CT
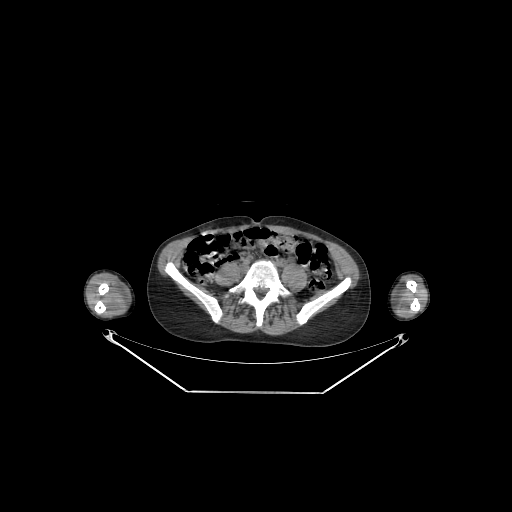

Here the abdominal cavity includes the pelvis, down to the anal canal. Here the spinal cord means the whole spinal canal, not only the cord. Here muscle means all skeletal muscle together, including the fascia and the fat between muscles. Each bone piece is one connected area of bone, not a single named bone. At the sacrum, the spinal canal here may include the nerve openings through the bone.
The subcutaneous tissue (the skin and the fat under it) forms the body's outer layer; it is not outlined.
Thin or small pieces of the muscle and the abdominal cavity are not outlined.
{"right_arm":[[[100,268],[109,268],[119,272],[128,280],[132,286],[135,294],[135,298],[136,299],[135,307],[131,314],[126,317],[115,320],[112,323],[110,321],[103,321],[93,317],[89,313],[83,302],[82,291],[83,290],[84,281],[87,275],[90,272]]],"abdominal_cavity":[[[256,225],[323,242],[329,248],[339,281],[301,299],[298,293],[306,286],[308,275],[300,265],[289,263],[280,274],[272,260],[258,258],[243,277],[240,265],[223,265],[215,279],[224,290],[215,292],[192,282],[179,269],[186,245],[207,233],[232,232]]],"torso":[[[234,215],[248,215],[257,221],[269,215],[291,216],[316,225],[352,246],[366,264],[371,288],[370,310],[362,328],[346,341],[327,347],[240,341],[197,343],[175,337],[164,330],[154,319],[146,295],[148,272],[156,248],[161,242],[176,233],[214,218]]],"left_arm":[[[410,269],[417,270],[421,272],[425,276],[429,286],[429,290],[430,291],[431,299],[427,309],[417,318],[410,320],[409,321],[398,321],[394,319],[388,311],[387,305],[386,304],[387,294],[396,276],[399,273],[405,270],[409,270]]],"bones":[{"outer":[[258,259],[272,261],[277,268],[282,284],[291,292],[291,295],[280,297],[279,302],[271,303],[264,310],[263,321],[259,327],[256,326],[255,309],[251,305],[238,302],[242,296],[241,294],[229,293],[228,296],[225,296],[228,289],[245,277],[249,266]],"hole":[[258,287],[260,287],[261,288],[266,288],[267,289],[267,291],[264,294],[264,295],[261,298],[259,298],[257,296],[257,295],[256,294],[256,293],[255,292],[255,288],[257,288]]},[[168,261],[172,262],[180,272],[188,280],[193,283],[198,288],[205,293],[214,296],[217,299],[220,308],[222,311],[222,316],[219,321],[219,323],[217,324],[214,323],[212,321],[211,317],[208,313],[205,306],[190,291],[176,282],[164,270],[165,264]],[[347,276],[349,276],[351,278],[351,284],[343,293],[342,293],[339,296],[333,298],[325,305],[321,307],[308,319],[306,323],[302,325],[299,325],[297,323],[296,321],[296,314],[300,310],[301,307],[304,303],[308,301],[313,300],[318,296],[329,290]],[[98,299],[100,299],[102,301],[102,302],[104,304],[104,305],[105,306],[105,310],[102,313],[101,313],[100,314],[98,314],[95,311],[95,310],[94,309],[94,306],[95,305],[95,304],[96,303],[96,301]],[[414,297],[417,297],[418,298],[418,301],[419,302],[419,304],[420,305],[420,307],[419,308],[419,310],[417,312],[414,312],[413,311],[412,311],[410,309],[410,304],[411,303],[411,302],[412,301],[412,299]],[[103,282],[105,282],[106,283],[107,283],[108,284],[108,286],[109,287],[109,289],[108,290],[108,291],[106,293],[105,293],[103,295],[100,295],[98,293],[98,287],[99,286],[99,285],[101,283],[102,283]],[[409,279],[411,279],[412,280],[414,280],[416,282],[416,291],[415,292],[412,292],[408,288],[407,288],[407,287],[406,286],[406,281],[407,280],[408,280]]],"spinal_cord":[[[258,287],[260,287],[261,288],[266,288],[267,289],[267,291],[264,294],[264,295],[261,298],[259,298],[257,296],[257,295],[256,294],[256,293],[255,292],[255,288],[257,288]]],"muscle":[[[230,263],[240,266],[243,274],[237,283],[227,289],[224,296],[241,295],[237,302],[254,309],[255,326],[258,328],[262,326],[265,310],[271,304],[292,295],[280,277],[285,266],[295,263],[307,275],[305,286],[297,293],[301,300],[325,291],[302,304],[295,314],[296,323],[302,326],[293,331],[281,335],[270,335],[260,330],[234,332],[216,325],[223,316],[218,299],[195,284],[215,293],[226,290],[216,279],[218,271]],[[259,224],[294,227],[316,234],[340,245],[348,252],[358,266],[360,278],[357,285],[346,292],[336,303],[317,314],[307,323],[309,319],[321,308],[343,294],[352,284],[352,278],[347,275],[341,280],[338,279],[330,248],[323,241],[301,234],[280,231]],{"outer":[[102,272],[107,272],[115,275],[126,285],[129,290],[131,301],[127,310],[122,314],[112,317],[103,317],[99,315],[106,310],[106,306],[100,298],[98,298],[95,301],[93,306],[93,309],[96,313],[90,308],[87,302],[86,288],[88,282],[95,274]],"hole":[[103,282],[105,282],[106,283],[107,283],[108,284],[108,286],[109,287],[109,289],[108,290],[108,291],[106,293],[105,293],[103,295],[100,295],[98,293],[98,287],[99,286],[99,285],[101,283],[102,283]]},[[242,224],[254,224],[255,225],[251,225],[241,229],[236,229],[232,231],[212,231],[194,237],[185,245],[179,260],[178,268],[170,260],[168,260],[164,264],[163,267],[163,270],[176,283],[190,292],[204,306],[213,323],[212,323],[203,311],[195,303],[185,296],[171,281],[161,275],[157,267],[157,260],[161,250],[167,244],[174,240],[194,235],[202,230],[206,229],[213,229],[218,227],[227,227],[234,225],[235,226]],{"outer":[[407,274],[415,274],[418,275],[422,279],[427,292],[427,300],[424,307],[420,310],[421,305],[419,298],[417,296],[414,296],[411,299],[409,304],[409,309],[412,312],[416,313],[409,317],[402,317],[397,315],[394,312],[391,303],[391,296],[400,278]],"hole":[[409,279],[411,279],[412,280],[414,280],[416,282],[416,291],[415,292],[412,292],[408,288],[407,288],[407,287],[406,286],[406,281],[407,280],[408,280]]}]}